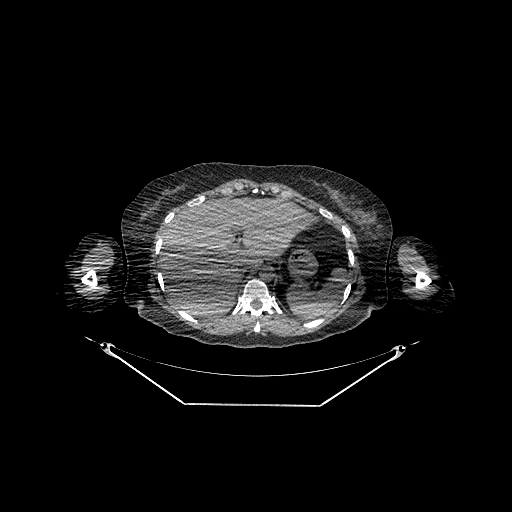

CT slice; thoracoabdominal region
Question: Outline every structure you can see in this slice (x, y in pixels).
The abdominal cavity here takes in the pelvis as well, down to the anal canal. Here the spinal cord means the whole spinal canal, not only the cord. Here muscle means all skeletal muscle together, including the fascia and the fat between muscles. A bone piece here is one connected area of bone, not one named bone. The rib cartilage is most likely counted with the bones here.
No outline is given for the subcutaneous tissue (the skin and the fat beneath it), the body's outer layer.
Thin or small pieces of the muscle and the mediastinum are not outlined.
Answer: {"bones":[{"outer":[[251,278],[258,278],[267,285],[270,293],[275,296],[276,301],[282,310],[281,314],[276,312],[270,314],[264,311],[260,316],[256,318],[252,316],[249,311],[246,311],[242,314],[237,313],[231,315],[230,313],[237,302],[238,296],[242,293],[244,284]],"hole":[[254,301],[255,301],[256,301],[257,301],[258,302],[259,302],[260,303],[260,304],[260,305],[260,306],[259,307],[258,307],[257,307],[256,308],[255,307],[254,307],[253,306],[252,305],[251,304],[251,303],[252,302],[253,302]]},[[417,271],[421,271],[422,272],[424,272],[425,273],[426,273],[430,277],[430,278],[431,279],[431,282],[425,288],[425,289],[424,290],[421,290],[420,289],[416,289],[415,288],[415,275],[416,274],[416,272]],[[90,269],[93,269],[96,272],[96,275],[97,276],[97,283],[98,284],[97,285],[97,286],[87,286],[85,284],[84,284],[81,281],[81,280],[80,279],[81,278],[81,277],[87,271],[88,271]],[[174,305],[181,305],[182,306],[184,306],[183,307],[184,309],[185,310],[187,310],[190,314],[194,316],[194,317],[198,320],[198,324],[196,324],[191,321],[189,321],[188,320],[183,319],[181,317],[181,316],[176,311],[176,309],[173,307]],[[235,182],[241,182],[244,184],[247,184],[247,187],[246,187],[245,188],[244,188],[241,190],[235,190],[233,192],[233,193],[232,193],[231,194],[228,194],[227,195],[223,195],[220,192],[220,189],[221,189],[224,187],[227,187],[228,186],[231,186]],[[272,185],[276,185],[280,189],[281,189],[282,190],[290,190],[294,194],[294,195],[291,198],[283,198],[282,197],[281,197],[280,196],[280,195],[278,193],[273,193],[270,190],[270,186],[271,186]],[[321,316],[323,316],[325,318],[325,319],[323,322],[320,323],[317,326],[316,326],[315,327],[313,327],[312,328],[305,328],[302,326],[302,324],[304,322],[305,322],[306,321],[309,321],[310,320],[313,320],[314,319],[315,319],[316,318],[318,318]],[[200,194],[201,195],[204,195],[206,197],[206,199],[202,203],[201,203],[199,205],[196,205],[195,206],[193,206],[192,207],[188,207],[188,206],[186,204],[187,201],[188,201],[192,198],[194,198],[195,197],[196,197]],[[319,207],[323,207],[324,208],[325,208],[326,209],[327,209],[328,210],[329,210],[332,213],[332,214],[334,216],[334,219],[333,220],[331,220],[330,219],[328,219],[327,218],[326,218],[325,217],[324,217],[322,215],[321,215],[318,212],[318,208]],[[157,235],[163,235],[163,238],[162,239],[162,240],[163,241],[163,242],[162,243],[162,244],[161,245],[161,248],[160,249],[160,253],[159,254],[156,254],[155,253],[155,242],[156,241],[156,240],[157,239],[157,237],[156,236]],[[349,282],[350,283],[351,283],[351,289],[349,292],[349,294],[348,295],[347,298],[345,300],[345,301],[342,304],[340,304],[340,302],[342,299],[342,297],[343,296],[343,294],[344,293],[344,290],[345,289],[346,286],[348,284],[348,283]],[[158,271],[160,271],[161,272],[161,273],[162,274],[162,275],[163,276],[163,281],[164,282],[164,286],[165,287],[165,291],[163,291],[161,289],[161,288],[160,287],[160,286],[159,285],[159,284],[158,283],[158,281],[157,280],[157,272]],[[341,225],[346,225],[348,227],[348,228],[349,229],[349,230],[351,233],[351,236],[349,238],[347,238],[346,239],[345,239],[345,238],[344,237],[344,236],[343,235],[343,234],[342,233],[342,232],[340,229],[340,228],[341,227]],[[348,248],[350,248],[353,251],[353,253],[354,254],[354,263],[353,264],[353,266],[352,266],[351,267],[349,265],[349,261],[348,260],[348,254],[347,253],[347,249]],[[171,211],[173,211],[174,212],[174,213],[175,214],[175,215],[174,216],[174,217],[173,218],[173,219],[168,224],[165,224],[164,223],[164,218],[165,217],[165,216],[169,212],[170,212]],[[257,320],[258,320],[259,321],[259,322],[260,323],[260,330],[259,331],[259,332],[255,332],[254,331],[253,331],[253,328],[254,327],[254,326],[255,325],[255,323],[256,322],[256,321]],[[256,187],[257,188],[258,188],[258,189],[259,190],[264,190],[265,191],[265,193],[264,194],[261,194],[259,192],[258,193],[253,193],[251,191],[252,190],[252,189],[253,188],[255,188]]],"torso":[[[212,161],[256,165],[315,165],[346,175],[372,191],[385,204],[392,222],[393,238],[385,271],[388,290],[386,304],[345,332],[285,347],[242,348],[202,343],[171,334],[139,316],[137,310],[124,301],[127,258],[120,229],[123,211],[153,179],[196,163]]],"muscle":[{"outer":[[332,212],[347,222],[357,239],[359,271],[365,282],[365,288],[361,298],[355,305],[348,307],[339,317],[316,331],[292,336],[278,336],[274,334],[261,335],[257,333],[247,335],[243,332],[230,335],[210,334],[192,328],[168,313],[150,297],[148,291],[148,283],[150,281],[150,247],[154,235],[163,219],[163,223],[167,225],[161,234],[155,236],[156,239],[154,242],[154,253],[159,255],[160,265],[159,270],[156,272],[156,280],[160,289],[163,292],[167,290],[177,302],[178,304],[174,304],[172,307],[183,320],[198,325],[199,320],[197,318],[209,318],[228,312],[230,312],[231,316],[249,312],[252,317],[257,319],[264,312],[270,315],[274,313],[281,315],[283,310],[293,318],[304,321],[301,324],[303,328],[315,328],[325,321],[326,318],[324,314],[326,312],[334,308],[338,302],[342,305],[346,301],[352,289],[352,283],[348,282],[348,280],[350,267],[353,267],[355,263],[355,254],[354,251],[347,246],[346,241],[352,236],[352,233],[346,224],[341,224],[339,228],[329,221],[335,219]],"hole":[[257,320],[258,320],[259,321],[259,322],[260,323],[260,330],[259,331],[259,332],[255,332],[254,331],[253,331],[253,328],[254,327],[254,326],[255,325],[255,323],[256,322],[256,321]]},{"outer":[[98,240],[103,240],[108,242],[113,250],[113,254],[114,255],[113,263],[107,271],[106,275],[107,283],[109,285],[109,290],[100,298],[98,298],[96,300],[86,300],[73,287],[70,274],[73,267],[79,264],[82,261],[88,250],[92,247],[94,247]],"hole":[[90,269],[93,269],[96,272],[96,275],[97,276],[97,283],[98,284],[97,285],[97,286],[87,286],[85,284],[84,284],[81,281],[81,280],[80,279],[81,278],[81,277],[87,271],[88,271]]},{"outer":[[403,243],[406,243],[409,247],[412,249],[415,249],[417,252],[422,256],[426,263],[430,267],[434,268],[435,270],[438,272],[439,274],[439,289],[436,295],[426,299],[412,299],[406,295],[400,289],[400,270],[397,260],[398,259],[398,249],[399,246]],"hole":[[417,271],[421,271],[422,272],[424,272],[425,273],[426,273],[430,277],[430,278],[431,279],[431,282],[425,288],[425,289],[424,290],[421,290],[420,289],[416,289],[415,288],[415,275],[416,274],[416,272]]},[[235,178],[246,178],[253,180],[258,183],[266,182],[267,181],[283,183],[296,190],[302,195],[306,196],[310,199],[312,199],[320,203],[325,207],[319,206],[317,208],[317,212],[316,212],[302,203],[292,199],[295,194],[290,189],[282,189],[276,184],[270,185],[269,186],[269,190],[273,194],[278,194],[279,195],[266,193],[266,191],[264,189],[259,189],[256,186],[253,187],[248,192],[234,193],[235,191],[241,191],[248,187],[248,184],[247,183],[244,183],[241,181],[235,181],[231,185],[224,186],[220,188],[219,189],[219,192],[221,195],[218,195],[207,199],[207,197],[204,194],[201,194],[200,193],[193,197],[197,193],[200,193],[203,191],[212,189],[226,181]],[[185,201],[186,201],[185,204],[187,206],[187,207],[185,209],[183,209],[181,211],[180,211],[179,213],[177,213],[176,214],[173,210],[171,210],[169,211],[166,214],[167,211],[169,210],[172,207],[175,207],[183,203]]],"abdominal_cavity":[[[249,192],[291,199],[340,230],[346,242],[349,275],[341,299],[323,315],[305,321],[282,309],[273,294],[274,273],[269,266],[259,268],[248,278],[232,309],[219,315],[195,317],[166,289],[160,270],[162,234],[166,226],[183,210],[199,206],[206,200]]],"mediastinum":[[[264,267],[269,267],[272,270],[272,272],[273,273],[273,283],[272,284],[272,294],[269,289],[269,287],[268,286],[268,285],[263,280],[260,279],[258,277],[252,277],[255,275],[255,274],[258,271],[258,270],[259,269],[260,269],[261,268],[263,268]]],"right_arm":[[[92,232],[107,234],[111,236],[120,245],[122,250],[121,257],[123,263],[123,287],[122,292],[118,295],[116,301],[111,305],[99,311],[85,312],[72,309],[66,305],[63,296],[60,292],[60,284],[62,268],[66,259],[74,251],[79,241],[85,235]]],"left_arm":[[[402,234],[411,234],[418,237],[435,248],[442,256],[448,274],[448,278],[455,291],[455,300],[454,302],[442,311],[422,313],[404,307],[398,303],[394,299],[392,294],[389,292],[388,289],[388,277],[389,276],[388,260],[389,259],[389,255],[393,239]]],"spinal_cord":[[[254,301],[255,301],[256,301],[257,301],[258,302],[259,302],[260,303],[260,304],[260,305],[260,306],[259,307],[258,307],[257,307],[256,308],[255,307],[254,307],[253,306],[252,305],[251,304],[251,303],[252,302],[253,302]]]}